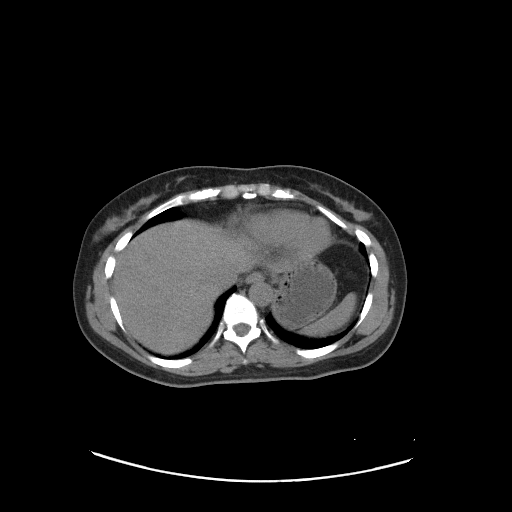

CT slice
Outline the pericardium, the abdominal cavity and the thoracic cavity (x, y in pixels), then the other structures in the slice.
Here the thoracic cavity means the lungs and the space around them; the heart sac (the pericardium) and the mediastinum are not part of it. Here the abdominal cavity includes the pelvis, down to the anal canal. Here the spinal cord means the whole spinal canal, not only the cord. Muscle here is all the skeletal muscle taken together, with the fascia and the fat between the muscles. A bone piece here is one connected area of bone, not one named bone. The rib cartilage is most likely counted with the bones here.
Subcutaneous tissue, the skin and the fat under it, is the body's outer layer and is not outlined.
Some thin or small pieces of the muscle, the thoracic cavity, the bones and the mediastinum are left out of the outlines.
The pericardium is outlined by (268, 203) (297, 203) (312, 208) (325, 216) (326, 218) (336, 225) (336, 234) (337, 235) (322, 250) (306, 258) (303, 258) (296, 261) (276, 260) (275, 259) (267, 258) (256, 248) (242, 232) (240, 224) (240, 218) (242, 211) (247, 205) (251, 204) (267, 204). The abdominal cavity is outlined by (181, 217) (223, 220) (265, 258) (276, 261) (296, 262) (333, 241) (349, 242) (369, 270) (357, 317) (342, 331) (325, 337) (288, 331) (272, 315) (271, 273) (254, 268) (217, 298) (211, 324) (189, 349) (168, 355) (138, 343) (126, 329) (114, 295) (116, 258) (142, 231). The thoracic cavity appears in 4 outlined pieces: piece 1: (269, 313) (271, 314) (276, 323) (284, 330) (299, 336) (302, 336) (306, 338) (312, 338) (313, 339) (325, 338) (340, 333) (349, 326) (352, 322) (357, 318) (357, 319) (353, 326) (345, 335) (338, 340) (320, 347) (300, 348) (278, 338) (269, 329) (265, 321) (265, 317); piece 2: (233, 286) (236, 287) (235, 291) (225, 301) (222, 315) (218, 322) (214, 334) (207, 343) (190, 356) (175, 359) (164, 358) (149, 353) (140, 345) (158, 354) (168, 356) (169, 355) (179, 354) (189, 350) (198, 343) (212, 324) (215, 315) (215, 304) (218, 298); piece 3: (174, 207) (178, 207) (178, 209) (182, 213) (182, 215) (180, 217) (175, 219) (168, 220) (167, 221) (159, 222) (153, 225) (151, 225) (149, 227) (147, 227) (145, 229) (142, 230) (131, 239) (134, 233) (145, 222) (151, 218) (156, 216) (158, 214) (168, 209) (170, 209); piece 4: (359, 242) (360, 242) (361, 243) (362, 243) (366, 248) (366, 251) (367, 252) (367, 259) (368, 260) (368, 263) (368, 262) (367, 261) (367, 260) (366, 259) (366, 258) (362, 254) (362, 253) (360, 251) (360, 250) (359, 249) (359, 246) (358, 245) (359, 244). The bones appear in 11 outlined pieces: piece 1: (233, 293) (241, 294) (253, 303) (258, 315) (264, 318) (264, 321) (268, 329) (279, 340) (277, 344) (272, 342) (262, 333) (259, 337) (253, 339) (247, 345) (244, 353) (236, 343) (222, 338) (213, 346) (208, 346) (208, 343) (215, 334) (219, 322) (222, 318) (226, 301); inner edge: (240, 323) (243, 323) (244, 324) (246, 324) (247, 325) (248, 325) (249, 326) (249, 330) (245, 334) (244, 334) (243, 335) (239, 335) (238, 334) (237, 334) (237, 333) (234, 330) (234, 326) (235, 325) (236, 325) (237, 324) (239, 324); piece 2: (259, 183) (269, 183) (273, 188) (287, 189) (295, 195) (295, 199) (282, 199) (262, 195) (250, 199) (241, 196) (223, 198) (219, 195) (213, 198) (174, 206) (158, 213) (144, 222) (141, 220) (153, 208) (180, 193) (188, 193) (207, 187) (221, 187) (227, 184) (248, 185); piece 3: (336, 341) (339, 341) (340, 342) (340, 344) (335, 349) (326, 354) (324, 354) (317, 357) (314, 357) (313, 358) (306, 358) (305, 357) (303, 357) (297, 354) (295, 351) (295, 348) (299, 348) (300, 349) (315, 349) (316, 348) (320, 348) (321, 347) (329, 345); piece 4: (147, 354) (150, 354) (164, 359) (171, 359) (172, 360) (181, 359) (186, 357) (190, 357) (192, 359) (192, 362) (189, 364) (187, 364) (184, 366) (182, 366) (178, 368) (174, 368) (173, 367) (164, 367) (158, 364) (156, 364) (149, 360) (147, 358); piece 5: (316, 205) (321, 205) (323, 206) (325, 208) (329, 210) (332, 213) (333, 213) (343, 222) (344, 222) (347, 226) (347, 231) (340, 227) (337, 224) (336, 224) (334, 222) (330, 220) (327, 217) (326, 217) (325, 215) (318, 211) (316, 209); piece 6: (368, 291) (372, 292) (372, 294) (373, 295) (372, 296) (371, 305) (366, 315) (364, 317) (360, 324) (356, 328) (354, 328) (353, 329) (353, 327) (359, 317) (360, 312) (362, 309) (362, 307) (363, 306) (363, 304) (364, 303) (364, 301) (365, 300) (365, 298); piece 7: (110, 296) (113, 296) (115, 298) (115, 300) (116, 301) (117, 306) (119, 309) (119, 313) (121, 316) (121, 319) (122, 320) (123, 325) (125, 328) (125, 331) (123, 331) (121, 329) (121, 328) (119, 326) (111, 310) (111, 307) (110, 306) (110, 302) (109, 301) (109, 298); piece 8: (129, 230) (130, 230) (133, 232) (133, 234) (132, 235) (132, 236) (128, 241) (127, 244) (120, 251) (117, 251) (116, 252) (114, 250) (114, 248) (115, 247) (115, 245) (116, 244) (117, 241) (119, 239) (119, 238) (124, 233) (125, 233) (127, 231) (128, 231); piece 9: (356, 227) (358, 227) (360, 229) (361, 229) (363, 231) (364, 231) (367, 234) (367, 235) (369, 237) (369, 238) (371, 241) (371, 245) (370, 246) (369, 246) (368, 247) (366, 247) (365, 246) (365, 245) (362, 242) (361, 242) (356, 237) (356, 236) (354, 233) (354, 230); piece 10: (110, 255) (113, 255) (115, 257) (115, 265) (114, 266) (114, 268) (113, 269) (113, 272) (112, 273) (112, 275) (111, 276) (111, 277) (110, 277) (109, 278) (106, 278) (105, 277) (105, 263) (106, 262) (106, 260) (107, 259) (107, 258); piece 11: (370, 252) (372, 252) (375, 255) (375, 256) (376, 257) (376, 258) (377, 259) (377, 263) (378, 264) (378, 268) (377, 269) (377, 274) (376, 275) (376, 276) (375, 277) (373, 277) (371, 275) (371, 272) (370, 271) (370, 266) (369, 265) (369, 260) (368, 259) (368, 254). The muscle appears in 2 outlined pieces: piece 1: (327, 208) (363, 226) (376, 238) (385, 253) (395, 290) (390, 324) (358, 351) (298, 367) (259, 367) (250, 363) (228, 373) (181, 375) (146, 365) (104, 339) (88, 322) (85, 295) (102, 249) (125, 225) (149, 211) (134, 232) (129, 229) (118, 238) (113, 250) (119, 253) (116, 257) (110, 254) (104, 263) (104, 277) (111, 278) (113, 288) (108, 298) (110, 310) (120, 329) (127, 330) (148, 353) (149, 361) (178, 369) (191, 364) (191, 356) (206, 344) (211, 348) (221, 339) (236, 344) (244, 354) (262, 334) (276, 345) (281, 340) (294, 346) (295, 353) (306, 359) (326, 355) (367, 315) (374, 295) (368, 290) (370, 279) (377, 276) (379, 268) (376, 255) (367, 251) (372, 245) (368, 234) (356, 226) (352, 235) (347, 224); piece 2: (271, 184) (273, 184) (274, 185) (279, 185) (282, 187) (286, 187) (287, 188) (291, 188) (292, 189) (298, 190) (304, 194) (309, 196) (311, 198) (320, 202) (323, 205) (321, 204) (316, 204) (315, 205) (315, 208) (314, 208) (307, 203) (300, 200) (278, 200) (277, 199) (270, 199) (269, 198) (264, 197) (270, 197) (274, 199) (281, 199) (282, 200) (295, 200) (297, 198) (296, 197) (296, 195) (289, 189) (287, 188) (282, 188) (281, 187) (273, 187). The torso is outlined by (276, 164) (311, 167) (344, 180) (370, 197) (392, 223) (405, 259) (407, 293) (398, 331) (388, 349) (376, 361) (359, 369) (308, 380) (172, 387) (126, 371) (104, 357) (87, 341) (74, 312) (73, 274) (85, 229) (108, 201) (143, 179) (178, 167) (210, 165) (252, 168). The spinal cord is outlined by (240, 323) (243, 323) (244, 324) (246, 324) (247, 325) (248, 325) (249, 326) (249, 330) (245, 334) (244, 334) (243, 335) (239, 335) (238, 334) (237, 334) (237, 333) (234, 330) (234, 326) (235, 325) (236, 325) (237, 324) (239, 324). The mediastinum appears in 3 outlined pieces: piece 1: (257, 197) (263, 197) (270, 200) (278, 201) (300, 201) (311, 207) (297, 202) (268, 202) (247, 204) (241, 211) (239, 224) (241, 232) (248, 240) (243, 238) (229, 223) (223, 219) (182, 216) (183, 213) (179, 209) (180, 206) (202, 201) (228, 200) (238, 198) (250, 200); piece 2: (254, 269) (264, 269) (266, 270) (270, 273) (274, 281) (274, 293) (273, 294) (273, 299) (271, 302) (271, 313) (269, 312) (264, 317) (262, 317) (259, 315) (254, 303) (251, 300) (250, 300) (245, 295) (241, 293) (235, 292) (237, 287) (234, 285) (240, 277) (244, 274); piece 3: (337, 225) (340, 228) (341, 228) (343, 230) (344, 230) (352, 236) (354, 236) (359, 241) (358, 242) (358, 244) (357, 245) (358, 246) (358, 247) (357, 247) (349, 241) (346, 241) (345, 240) (334, 240) (337, 237) (337, 236) (338, 235) (337, 234).